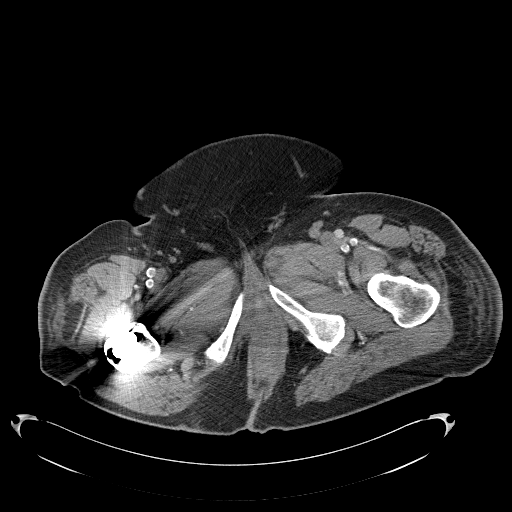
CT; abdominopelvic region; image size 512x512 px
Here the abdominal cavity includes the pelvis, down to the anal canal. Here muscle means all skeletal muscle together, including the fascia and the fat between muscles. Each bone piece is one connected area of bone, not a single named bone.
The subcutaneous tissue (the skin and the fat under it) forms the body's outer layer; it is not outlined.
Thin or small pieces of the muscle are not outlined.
The torso is outlined by 261,132 304,138 339,155 346,171 332,194 402,196 438,208 457,224 502,294 503,318 489,362 469,375 447,377 332,421 231,435 129,420 44,374 37,306 58,254 103,222 147,221 132,210 133,196 186,153. The muscle is outlined by 371,213 422,222 444,240 441,263 455,327 444,349 331,400 296,407 298,383 319,362 316,349 331,354 345,336 346,320 340,313 310,310 269,283 272,299 305,330 304,337 291,335 284,373 269,398 247,395 245,341 230,367 195,402 168,416 123,408 86,382 71,347 82,307 71,304 69,289 87,260 118,253 162,263 224,256 247,264 273,245 with holes at 378,272 384,272 392,275 402,274 418,282 421,283 427,282 432,285 438,291 440,296 439,303 435,311 424,322 415,326 402,327 397,324 393,319 392,315 388,311 378,305 370,297 367,292 368,280 373,274 and at 131,321 141,322 146,326 150,333 158,341 160,345 160,352 159,354 154,358 145,363 138,370 133,372 130,372 129,373 122,373 118,371 105,357 103,345 104,344 104,340 105,338 112,329 123,324 128,323 and at 265,320 269,320 273,322 277,326 281,332 281,353 280,354 280,361 273,375 270,378 270,379 268,380 266,385 261,388 255,388 253,386 253,382 252,381 252,342 251,341 251,332 254,327 255,327 257,324 and at 241,292 242,292 244,295 243,296 243,303 242,304 241,315 236,325 228,353 225,359 219,365 217,365 213,360 207,358 205,356 204,351 205,349 218,337 225,328 229,319 234,303 238,295. The bones appear in 4 outlined pieces: piece 1: 378,272 384,272 392,275 402,274 418,282 421,283 427,282 432,285 438,291 440,296 439,303 435,311 424,322 415,326 402,327 397,324 393,319 392,315 388,311 378,305 370,297 367,292 368,280 373,274; piece 2: 131,321 141,322 146,326 150,333 158,341 160,345 160,352 159,354 154,358 145,363 138,370 133,372 130,372 129,373 122,373 118,371 105,357 103,345 104,344 104,340 105,338 112,329 123,324 128,323; piece 3: 269,284 272,284 287,293 310,311 334,313 335,314 340,314 343,316 345,320 345,332 344,336 335,346 331,353 326,353 316,348 308,341 305,337 306,330 302,324 291,314 281,307 273,299 268,289 268,285; piece 4: 241,292 242,292 244,295 243,296 243,303 242,304 241,315 236,325 228,353 225,359 219,365 217,365 213,360 207,358 205,356 204,351 205,349 218,337 225,328 229,319 234,303 238,295. The abdominal cavity is outlined by 265,320 269,320 273,322 277,326 281,332 281,353 280,354 280,361 273,375 270,378 270,379 268,380 266,385 261,388 255,388 253,386 253,382 252,381 252,342 251,341 251,332 254,327 255,327 257,324.